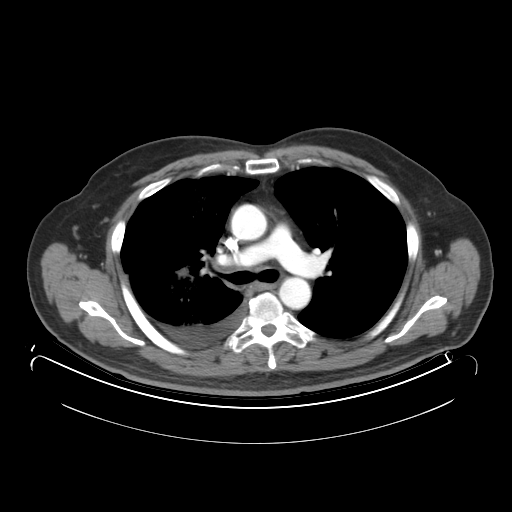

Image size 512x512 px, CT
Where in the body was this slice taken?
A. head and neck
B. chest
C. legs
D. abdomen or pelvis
Answer: B. chest
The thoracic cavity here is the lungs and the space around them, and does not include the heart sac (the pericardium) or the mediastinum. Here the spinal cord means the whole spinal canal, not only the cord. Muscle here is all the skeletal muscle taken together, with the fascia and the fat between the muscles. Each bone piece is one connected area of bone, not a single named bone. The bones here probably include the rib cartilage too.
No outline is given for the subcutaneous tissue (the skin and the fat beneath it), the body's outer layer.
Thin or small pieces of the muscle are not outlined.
{"torso":[[[322,126],[365,132],[395,147],[433,173],[482,223],[491,247],[493,289],[475,333],[465,344],[373,381],[283,397],[233,398],[128,381],[68,351],[42,324],[26,279],[30,241],[44,215],[79,192],[100,166],[134,146],[164,137],[198,134],[268,144]]],"thoracic_cavity":[[[209,174],[225,174],[258,182],[255,187],[240,195],[232,204],[218,240],[219,270],[227,276],[229,286],[244,300],[247,300],[248,313],[224,339],[205,347],[182,347],[168,339],[148,319],[131,289],[120,253],[127,222],[141,201],[182,178],[199,178]],[[305,166],[339,167],[365,179],[396,206],[405,224],[407,264],[397,294],[385,313],[372,327],[352,337],[336,338],[318,334],[300,322],[296,317],[310,303],[316,279],[320,275],[320,269],[314,249],[308,243],[302,229],[275,195],[274,185],[280,177]]],"spinal_cord":[[[268,324],[271,324],[272,325],[273,325],[275,327],[275,330],[274,331],[274,332],[272,334],[271,334],[270,335],[266,335],[265,334],[264,334],[262,332],[262,330],[261,329],[262,328],[262,327],[263,326],[264,326],[265,325],[267,325]]],"mediastinum":[[[295,166],[304,166],[285,173],[274,182],[274,195],[301,229],[313,249],[319,269],[311,299],[296,316],[286,310],[270,291],[244,299],[230,286],[228,276],[220,270],[219,264],[219,240],[231,207],[259,183],[253,178],[222,173],[271,174],[282,167]]],"muscle":[{"outer":[[293,144],[327,146],[364,159],[388,176],[422,219],[443,232],[468,238],[476,246],[480,258],[480,277],[475,295],[470,304],[442,333],[392,348],[363,364],[347,368],[297,372],[281,370],[252,372],[226,377],[200,377],[177,374],[126,351],[90,342],[75,332],[49,303],[43,287],[40,265],[44,250],[53,242],[80,242],[94,235],[119,203],[128,187],[138,179],[175,160],[198,153],[244,149],[262,155],[271,149]],"holes":[[[269,157],[275,157],[282,167],[294,167],[301,158],[321,159],[364,179],[367,174],[374,175],[395,191],[399,199],[396,207],[404,223],[414,225],[419,239],[416,258],[407,262],[397,292],[405,289],[405,294],[395,316],[370,339],[366,337],[366,330],[345,338],[318,334],[316,341],[302,348],[279,341],[272,347],[274,369],[267,364],[267,349],[258,343],[236,353],[223,346],[223,339],[205,347],[184,347],[188,355],[171,353],[157,346],[139,328],[123,298],[120,281],[130,289],[131,285],[120,255],[112,251],[115,225],[121,219],[126,222],[130,219],[140,202],[137,200],[139,193],[152,182],[170,177],[172,183],[192,177],[201,168],[214,163],[243,167],[249,159]],[[81,300],[83,301],[93,300],[97,302],[109,315],[114,318],[116,323],[122,331],[131,337],[144,341],[145,344],[144,345],[138,345],[123,338],[117,332],[112,324],[107,319],[101,316],[90,315],[85,310],[82,309],[79,306],[79,302]],[[435,295],[440,295],[445,297],[447,299],[446,302],[443,305],[438,308],[428,309],[424,311],[418,317],[409,329],[400,337],[394,339],[389,342],[385,342],[384,341],[388,336],[398,333],[402,329],[404,324],[417,312],[424,302],[432,296]]]}],"bones":[{"outer":[[264,292],[272,293],[286,311],[291,313],[300,323],[318,336],[316,341],[308,342],[302,348],[287,341],[275,343],[272,347],[276,363],[274,369],[271,369],[267,364],[267,349],[258,343],[252,343],[238,353],[223,346],[224,340],[248,315],[249,299]],"hole":[[268,324],[271,324],[272,325],[273,325],[275,327],[275,330],[274,331],[274,332],[272,334],[271,334],[270,335],[266,335],[265,334],[264,334],[262,332],[262,330],[261,329],[262,328],[262,327],[263,326],[264,326],[265,325],[267,325]]},[[121,280],[122,280],[131,290],[137,303],[145,314],[147,319],[152,324],[152,325],[168,340],[185,349],[189,353],[188,355],[180,355],[175,353],[171,353],[157,346],[145,335],[135,322],[125,303],[125,301],[123,298],[121,287],[120,286],[120,281]],[[269,157],[275,157],[280,163],[281,167],[275,172],[247,174],[244,172],[224,171],[221,173],[209,173],[199,177],[194,177],[193,176],[193,174],[201,168],[214,163],[222,163],[231,165],[237,164],[243,167],[245,162],[249,159],[259,159]],[[81,300],[83,301],[93,300],[97,302],[109,315],[114,318],[116,323],[122,331],[131,337],[144,341],[145,344],[144,345],[138,345],[123,338],[117,332],[112,324],[107,319],[101,316],[90,315],[85,310],[82,309],[79,306],[79,302]],[[435,295],[440,295],[445,297],[447,299],[446,302],[443,305],[438,308],[428,309],[424,311],[418,317],[409,329],[400,337],[394,339],[389,342],[385,342],[384,341],[388,336],[398,333],[402,329],[404,324],[417,312],[424,302],[432,296]],[[404,289],[405,289],[405,294],[404,295],[403,300],[401,303],[401,305],[397,311],[395,316],[392,319],[389,324],[380,333],[379,333],[373,338],[371,338],[370,339],[367,338],[366,337],[366,333],[371,328],[372,328],[386,313],[393,303],[397,295]],[[367,174],[369,175],[374,175],[378,177],[381,180],[382,180],[387,184],[388,184],[395,191],[395,192],[397,194],[398,196],[398,198],[399,199],[399,205],[398,206],[395,205],[383,194],[382,194],[371,183],[370,183],[365,178],[365,175]],[[407,222],[411,222],[414,225],[414,226],[417,231],[417,233],[418,234],[418,238],[419,239],[419,243],[418,244],[418,248],[417,249],[417,254],[416,255],[416,258],[413,261],[408,261],[408,253],[407,252],[407,232],[406,231],[406,224],[407,223]],[[121,219],[125,220],[126,222],[126,225],[125,226],[125,230],[123,235],[123,239],[121,244],[120,252],[119,254],[117,254],[116,253],[114,253],[112,251],[112,248],[111,247],[111,236],[112,235],[112,232],[114,229],[115,225],[117,222]],[[167,177],[170,177],[171,178],[171,181],[168,184],[167,184],[153,194],[150,195],[148,197],[146,197],[140,201],[138,201],[137,200],[137,198],[138,197],[139,193],[145,186],[152,182],[155,182],[156,181],[158,181],[161,179],[163,179]],[[301,158],[317,158],[318,159],[321,159],[322,160],[323,160],[324,161],[326,161],[327,162],[329,162],[331,164],[331,165],[330,166],[324,166],[323,165],[299,165],[298,166],[297,166],[296,165],[296,161],[298,159],[300,159]]]}